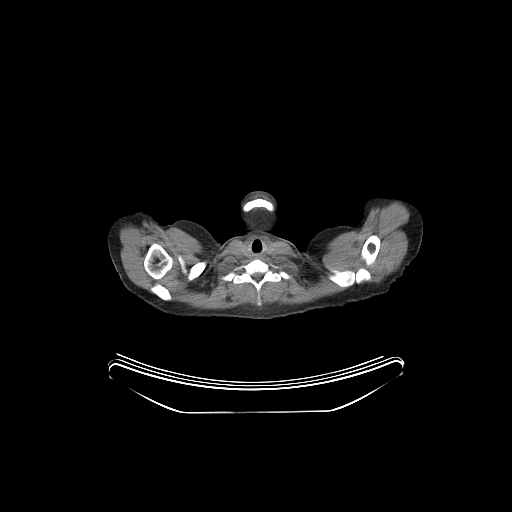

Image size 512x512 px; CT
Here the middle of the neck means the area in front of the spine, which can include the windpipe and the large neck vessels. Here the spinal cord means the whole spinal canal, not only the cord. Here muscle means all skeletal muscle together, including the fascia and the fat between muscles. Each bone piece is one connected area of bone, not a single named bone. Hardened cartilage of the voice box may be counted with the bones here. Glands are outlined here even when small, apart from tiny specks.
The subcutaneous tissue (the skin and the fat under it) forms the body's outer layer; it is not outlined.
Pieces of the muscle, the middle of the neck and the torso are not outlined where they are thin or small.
{"middle_of_the_neck":[[[255,238],[259,238],[263,240],[265,242],[265,253],[267,255],[269,255],[267,256],[265,256],[264,257],[262,257],[261,259],[257,257],[255,257],[252,259],[251,257],[248,257],[244,255],[247,255],[249,252],[249,242],[251,240]]],"left_arm":[[[374,196],[393,196],[403,198],[413,203],[419,209],[422,215],[423,233],[419,251],[413,261],[405,269],[401,277],[390,281],[370,279],[355,269],[335,269],[325,266],[304,250],[308,241],[323,228],[336,225],[356,226],[363,216],[363,205],[365,201]]],"muscle":[{"outer":[[391,202],[403,204],[410,212],[405,226],[407,253],[399,267],[378,283],[363,283],[372,279],[364,266],[356,270],[332,268],[327,277],[345,289],[301,304],[262,305],[263,285],[291,276],[284,270],[274,270],[277,265],[262,259],[274,253],[274,244],[259,237],[240,244],[241,254],[251,259],[220,278],[234,284],[250,283],[256,291],[256,305],[200,309],[172,301],[169,289],[158,281],[150,287],[151,292],[133,283],[121,261],[119,230],[127,223],[139,226],[144,219],[164,230],[177,227],[201,242],[208,253],[216,253],[253,232],[256,227],[246,213],[264,208],[273,212],[262,229],[266,233],[287,243],[303,258],[319,262],[327,242],[341,233],[358,231],[371,207]],"holes":[[[154,242],[162,246],[171,256],[173,260],[172,267],[165,274],[165,275],[163,277],[162,277],[158,280],[156,280],[154,279],[147,273],[147,272],[144,268],[144,265],[143,264],[143,262],[144,261],[144,258],[145,257],[145,254],[149,246],[152,243]],[[373,234],[377,235],[380,239],[380,245],[379,246],[379,250],[377,253],[377,255],[375,258],[375,260],[372,264],[367,266],[365,264],[365,262],[361,258],[360,254],[361,253],[361,250],[362,249],[363,244],[365,242],[367,238],[369,236]],[[179,255],[182,257],[184,261],[185,266],[187,269],[190,268],[193,265],[200,261],[205,261],[206,262],[206,265],[203,271],[197,277],[194,278],[192,280],[188,280],[187,276],[184,273],[183,273],[181,270],[181,266],[178,260],[178,256]]]}],"thyroid_glands":[[[266,242],[271,242],[273,244],[273,253],[272,254],[267,254],[266,253]],[[244,242],[246,242],[247,243],[248,243],[248,252],[247,253],[247,254],[244,254],[242,252],[242,251],[241,250],[241,244],[242,243],[243,243]]],"head_and_neck":[[[254,190],[262,190],[271,193],[276,198],[279,204],[280,219],[277,227],[275,228],[273,232],[267,231],[262,228],[261,229],[256,229],[255,228],[244,229],[242,227],[242,224],[240,220],[238,219],[237,213],[238,212],[238,204],[240,200],[244,195]]],"bones":[{"outer":[[255,258],[267,264],[269,263],[277,266],[278,268],[272,269],[274,271],[281,270],[290,276],[289,279],[282,278],[279,281],[266,281],[260,289],[260,306],[256,304],[257,291],[250,282],[234,283],[231,280],[226,281],[221,278],[236,267],[245,265]],"hole":[[258,272],[259,273],[262,273],[263,274],[263,275],[262,276],[262,277],[259,280],[256,280],[255,279],[254,279],[252,277],[252,275],[254,273],[257,273]]},[[154,242],[162,246],[171,256],[173,260],[172,267],[165,274],[165,275],[163,277],[162,277],[158,280],[156,280],[154,279],[147,273],[147,272],[144,268],[144,265],[143,264],[143,262],[144,261],[144,258],[145,257],[145,254],[149,246],[152,243]],[[361,267],[366,268],[370,273],[371,276],[370,281],[366,281],[360,284],[355,283],[351,286],[345,288],[333,282],[328,277],[329,274],[331,273],[331,270],[332,269],[335,269],[339,271],[343,271],[344,270],[352,270],[353,271],[356,271]],[[373,234],[377,235],[380,239],[380,245],[379,246],[379,250],[377,253],[377,255],[375,258],[375,260],[372,264],[367,266],[365,264],[365,262],[361,258],[360,254],[361,253],[361,250],[362,249],[363,244],[365,242],[367,238],[369,236]],[[179,255],[182,257],[184,261],[185,266],[187,269],[190,268],[193,265],[200,261],[205,261],[206,262],[206,265],[203,271],[197,277],[194,278],[192,280],[188,280],[187,276],[184,273],[183,273],[181,270],[181,266],[178,260],[178,256]],[[255,198],[263,198],[264,199],[266,199],[270,201],[273,204],[274,206],[274,210],[273,211],[269,211],[266,208],[264,207],[254,207],[246,212],[243,211],[242,210],[242,207],[243,205],[246,202],[252,199],[254,199]],[[157,282],[158,282],[159,283],[160,283],[162,285],[165,286],[168,289],[168,290],[170,293],[170,295],[171,296],[171,300],[170,300],[169,301],[164,300],[163,299],[160,298],[157,295],[156,295],[151,291],[151,287],[155,283],[156,283]]],"right_arm":[[[138,210],[146,211],[164,225],[172,223],[179,219],[187,219],[197,222],[205,227],[221,243],[217,251],[211,257],[200,262],[177,279],[165,282],[143,291],[133,291],[126,289],[111,260],[107,246],[106,235],[108,228],[114,219],[122,214],[130,213]]],"spinal_cord":[[[258,272],[259,273],[262,273],[263,274],[263,275],[262,276],[262,277],[259,280],[256,280],[255,279],[254,279],[252,277],[252,275],[254,273],[257,273]]],"torso":[[[248,229],[262,229],[285,238],[325,267],[335,270],[355,270],[366,278],[378,282],[398,279],[386,293],[350,303],[344,307],[314,309],[267,320],[167,314],[155,309],[127,290],[143,292],[181,278],[188,271],[211,258],[222,242],[241,235],[244,230]]]}